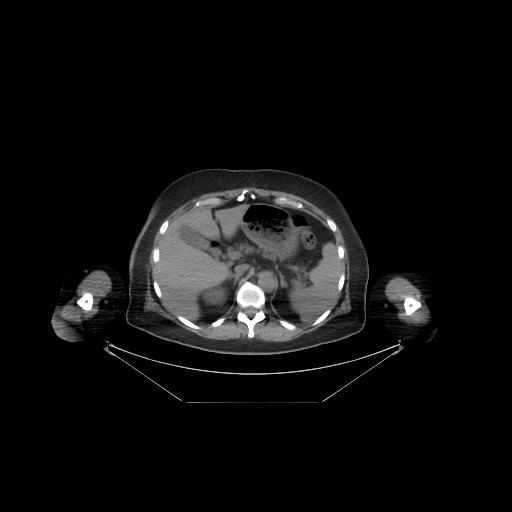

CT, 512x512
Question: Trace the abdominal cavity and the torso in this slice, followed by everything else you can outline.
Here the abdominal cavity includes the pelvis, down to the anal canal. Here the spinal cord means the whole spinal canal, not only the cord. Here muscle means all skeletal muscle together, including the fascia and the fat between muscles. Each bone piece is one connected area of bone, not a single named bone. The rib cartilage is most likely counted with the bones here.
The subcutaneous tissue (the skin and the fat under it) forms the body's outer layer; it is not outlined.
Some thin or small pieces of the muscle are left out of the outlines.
Answer: {"abdominal_cavity":[[[256,197],[302,210],[333,233],[340,273],[332,303],[308,323],[295,324],[280,318],[268,306],[275,291],[276,278],[269,271],[258,269],[238,287],[235,301],[223,316],[198,324],[178,314],[162,297],[156,279],[160,244],[170,224],[190,208]]],"torso":[[[213,167],[287,170],[312,178],[337,195],[361,237],[368,258],[368,317],[360,332],[335,342],[293,352],[234,355],[209,352],[167,341],[127,323],[125,317],[129,301],[128,230],[131,223],[135,220],[139,223],[144,219],[155,198],[170,182],[186,173]]],"mediastinum":[[[258,270],[264,270],[267,272],[269,272],[272,274],[275,278],[275,287],[274,288],[274,291],[272,293],[272,296],[269,299],[269,304],[268,305],[266,304],[266,300],[265,299],[266,295],[264,290],[257,284],[248,280],[248,278],[251,277],[252,274]]],"muscle":[[[337,224],[348,251],[350,310],[335,316],[315,330],[291,340],[272,342],[254,339],[255,325],[266,317],[264,312],[265,305],[275,312],[275,315],[279,318],[279,324],[290,331],[295,330],[297,328],[296,325],[308,324],[310,322],[312,322],[312,326],[315,326],[323,321],[331,312],[330,306],[337,293],[343,289],[346,278],[345,273],[340,272],[340,260],[344,257],[345,249],[341,244],[336,245],[334,233],[337,230]],[[158,228],[158,233],[163,237],[159,247],[155,246],[151,251],[152,260],[156,265],[155,279],[151,284],[156,296],[160,299],[163,298],[165,303],[177,314],[176,318],[180,322],[195,330],[202,328],[199,324],[209,324],[212,328],[221,325],[226,319],[224,315],[235,302],[238,307],[236,319],[246,325],[247,337],[250,339],[223,340],[205,338],[183,329],[157,312],[143,311],[143,302],[147,289],[147,266],[153,239]],{"outer":[[94,270],[102,270],[109,276],[112,284],[111,290],[101,299],[102,301],[99,305],[98,307],[98,311],[94,317],[78,323],[71,323],[68,321],[65,321],[62,319],[59,314],[60,309],[71,299],[75,293],[75,290],[77,286],[82,280],[88,274]],"hole":[[84,292],[90,292],[92,294],[92,296],[93,297],[93,303],[92,304],[92,307],[90,310],[88,310],[87,311],[86,310],[84,310],[80,306],[79,306],[76,303],[76,301],[77,300],[77,299],[78,298],[79,298],[83,294],[83,293]]},[[251,186],[268,190],[284,191],[308,200],[319,207],[332,218],[328,217],[326,219],[326,225],[315,216],[303,210],[302,209],[304,205],[300,201],[290,199],[283,195],[277,196],[273,200],[271,198],[256,196],[256,195],[247,187],[246,187],[245,187],[244,187],[243,187],[242,188],[240,193],[235,198],[222,203],[221,203],[221,199],[216,196],[199,199],[193,204],[193,207],[188,208],[178,215],[169,225],[169,221],[165,219],[172,211],[179,206],[201,194],[214,191],[223,191],[229,189],[242,187],[250,187]],{"outer":[[396,276],[400,276],[407,279],[413,285],[417,287],[421,292],[424,303],[429,310],[429,322],[427,325],[424,325],[423,326],[410,325],[406,323],[403,323],[398,318],[397,315],[394,311],[392,302],[387,298],[384,291],[386,284],[388,281],[390,279]],"hole":[[406,295],[408,295],[409,296],[412,296],[415,299],[416,299],[417,300],[418,300],[421,303],[421,306],[419,308],[418,308],[416,310],[415,310],[410,315],[406,315],[405,314],[405,310],[404,309],[404,305],[403,304],[403,302],[404,301],[404,298]]}],"bones":[{"outer":[[246,281],[249,281],[260,287],[265,295],[264,297],[265,304],[263,307],[263,312],[265,317],[254,325],[253,327],[254,335],[252,338],[248,337],[247,325],[244,322],[239,321],[237,319],[237,313],[239,307],[236,302],[235,297],[236,292],[239,287]],"hole":[[249,306],[252,306],[254,308],[255,308],[256,309],[257,309],[257,310],[255,312],[255,313],[252,316],[249,316],[248,315],[247,315],[244,312],[244,309],[245,308],[246,308],[247,307],[248,307]]},[[406,295],[408,295],[409,296],[412,296],[415,299],[416,299],[417,300],[418,300],[421,303],[421,306],[419,308],[418,308],[416,310],[415,310],[410,315],[406,315],[405,314],[405,310],[404,309],[404,305],[403,304],[403,302],[404,301],[404,298]],[[84,292],[90,292],[92,294],[92,296],[93,297],[93,303],[92,304],[92,307],[90,310],[88,310],[87,311],[86,310],[84,310],[80,306],[79,306],[76,303],[76,301],[77,300],[77,299],[78,298],[79,298],[83,294],[83,293]],[[280,196],[283,196],[284,197],[286,197],[290,200],[292,200],[293,201],[300,202],[303,205],[303,207],[301,209],[299,209],[298,208],[291,207],[287,205],[284,205],[283,204],[279,204],[278,203],[276,203],[274,201],[274,199]],[[211,197],[216,197],[217,198],[219,198],[220,199],[220,203],[219,204],[217,204],[216,205],[207,204],[206,205],[200,205],[199,206],[194,206],[194,204],[197,201],[198,201],[199,200],[203,200],[204,199],[206,199],[207,198],[210,198]],[[243,188],[247,188],[251,193],[253,193],[255,195],[255,198],[254,198],[253,199],[252,198],[249,197],[247,195],[246,196],[246,197],[243,200],[241,200],[240,201],[237,200],[236,199],[236,198],[241,193],[241,192],[242,191]],[[177,315],[180,315],[184,317],[186,319],[189,320],[191,322],[195,324],[197,324],[199,325],[201,327],[201,328],[200,329],[195,329],[194,328],[192,328],[186,325],[184,323],[180,321],[177,318]],[[279,319],[283,319],[284,320],[285,320],[288,322],[290,322],[291,323],[292,323],[293,324],[294,324],[296,326],[296,328],[293,330],[290,330],[289,329],[287,329],[285,327],[284,327],[282,325],[281,325],[280,324],[280,323],[279,322]],[[329,308],[330,309],[330,312],[327,315],[327,316],[323,320],[322,320],[320,322],[319,322],[317,324],[316,324],[315,325],[312,325],[312,323],[313,322],[313,321],[314,320],[315,320],[321,314],[322,314],[327,309],[328,309]],[[155,247],[157,247],[158,248],[159,248],[159,260],[156,263],[155,262],[154,262],[154,261],[153,260],[153,256],[152,255],[152,251],[153,250],[153,249]],[[341,273],[344,273],[344,275],[345,276],[345,278],[344,279],[344,282],[343,283],[343,287],[342,288],[342,289],[340,291],[338,291],[338,289],[337,288],[338,287],[338,280],[339,279],[339,278],[340,277],[340,274]],[[154,280],[156,280],[157,281],[157,283],[159,286],[159,288],[160,289],[160,291],[161,292],[161,297],[160,298],[157,296],[157,295],[156,294],[156,293],[155,292],[155,291],[153,288],[153,285],[152,284],[152,283]],[[165,220],[167,220],[168,221],[168,227],[167,228],[167,229],[165,231],[165,232],[163,234],[161,234],[160,233],[159,233],[159,228],[160,227],[160,225],[163,222],[163,221],[164,221]],[[328,218],[330,218],[331,219],[332,219],[335,222],[335,223],[336,224],[336,230],[334,232],[333,232],[330,229],[330,228],[327,225],[327,219]],[[220,317],[224,317],[225,318],[225,319],[223,321],[223,322],[221,324],[220,324],[218,326],[216,326],[215,327],[212,327],[211,326],[210,326],[210,323],[211,323],[213,321],[214,321],[215,320],[216,320],[218,318],[219,318]],[[339,245],[341,245],[343,247],[343,248],[344,249],[344,252],[343,253],[343,257],[341,259],[339,259],[339,258],[338,257],[338,253],[337,252],[337,247]]],"right_arm":[[[92,261],[105,262],[111,265],[118,272],[122,280],[125,290],[126,307],[122,310],[119,315],[115,317],[94,335],[89,336],[81,341],[70,342],[61,339],[55,334],[51,326],[51,313],[56,303],[56,300],[58,297],[60,289],[67,277],[80,266]]],"spinal_cord":[[[249,306],[252,306],[254,308],[255,308],[256,309],[257,309],[257,310],[255,312],[255,313],[252,316],[249,316],[248,315],[247,315],[244,312],[244,309],[245,308],[246,308],[247,307],[248,307]]],"left_arm":[[[393,270],[409,270],[415,272],[430,280],[437,288],[443,304],[443,313],[439,321],[439,331],[432,339],[425,342],[415,342],[409,339],[404,339],[403,338],[402,339],[398,339],[383,323],[373,321],[369,317],[368,315],[368,297],[374,283],[382,275]]]}